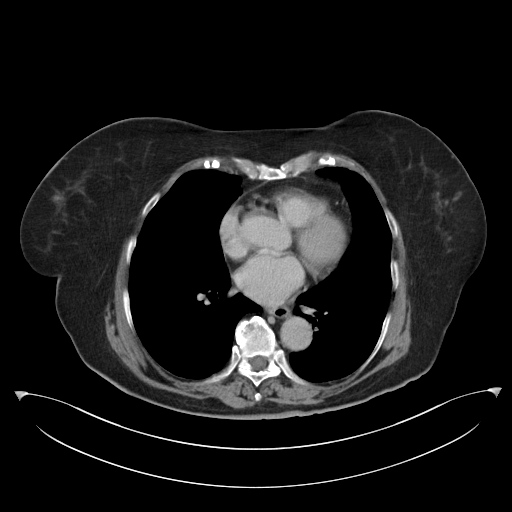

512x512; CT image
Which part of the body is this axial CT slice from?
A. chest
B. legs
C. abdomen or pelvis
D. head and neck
A. chest
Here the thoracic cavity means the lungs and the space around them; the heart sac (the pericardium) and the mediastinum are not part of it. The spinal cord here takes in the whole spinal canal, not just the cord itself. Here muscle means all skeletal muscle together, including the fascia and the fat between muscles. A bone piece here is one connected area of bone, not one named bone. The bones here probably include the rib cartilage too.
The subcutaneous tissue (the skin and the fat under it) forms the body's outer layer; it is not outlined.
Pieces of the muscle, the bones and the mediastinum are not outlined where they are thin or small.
pericardium: 291,176 317,180 333,185 338,189 345,199 349,209 351,219 350,239 337,265 323,279 316,283 312,283 294,298 280,304 262,305 255,302 236,287 224,258 219,234 220,224 227,210 245,192 265,182
muscle 1: 143,206 141,216 144,219 140,230 137,236 129,236 125,246 125,262 129,268 127,287 121,293 122,307 129,328 136,332 151,357 170,373 186,379 203,379 203,384 209,384 227,378 236,370 258,387 264,380 281,373 296,384 307,385 309,382 338,380 358,368 359,372 362,371 380,349 392,317 388,310 391,292 397,289 400,281 398,262 391,257 392,240 398,236 398,223 406,251 406,288 411,304 412,340 407,353 352,387 314,404 266,401 250,407 234,408 214,397 198,399 149,385 138,378 112,349 106,336 104,319 107,303 113,303 114,279 122,244 with a hole at 256,392 257,392 258,392 259,393 260,394 261,395 261,396 261,397 261,398 260,399 260,400 259,401 258,401 257,401 256,401 256,400 255,399 255,398 255,397 254,396 255,395 255,394 255,393
muscle 2: 208,155 233,155 234,156 232,156 230,160 233,164 233,168 238,171 227,169 222,165 222,162 219,158 207,157 201,161 193,163 190,166 189,170 182,173 163,195 161,195 159,191 156,191 178,167 192,159
muscle 3: 310,150 328,150 346,155 358,162 374,179 385,196 389,208 382,207 374,190 367,181 366,176 359,171 351,161 340,155 329,153 318,156 315,160 315,163 318,166 310,167 314,161 312,154 310,152 306,152
bones 1: 252,315 259,315 266,321 274,332 277,344 283,350 290,367 306,380 307,384 296,383 281,372 277,376 264,379 256,386 236,369 219,381 202,382 205,378 221,370 229,361 235,342 235,328 242,318 248,318, around a hole outlined by 255,356 262,356 263,357 265,357 266,358 266,360 267,361 267,363 266,364 266,366 264,368 263,368 262,369 260,369 259,370 254,370 252,368 252,366 251,365 251,364 249,362 249,359 250,359
bones 2: 306,153 310,153 313,159 311,165 306,170 301,172 298,175 275,178 272,180 252,179 244,173 235,169 234,164 232,163 231,160 232,157 235,156 250,160 257,164 263,163 272,167 278,167 280,164 287,160
bones 3: 329,154 334,156 340,156 348,160 349,162 351,162 354,165 356,169 359,172 362,173 365,176 365,178 358,172 344,166 340,166 339,165 336,165 335,166 318,165 316,163 316,160 317,158 320,156 324,156
bones 4: 388,311 391,313 391,317 383,341 379,349 372,359 362,370 359,371 360,366 367,359 374,349 374,347 378,340 378,338 381,332 381,328 382,327 382,324 384,318
bones 5: 207,158 216,158 217,159 219,159 221,162 221,165 223,167 225,167 226,168 226,170 224,170 223,169 217,169 216,168 196,168 195,169 190,169 191,166 193,164 195,163 197,163 198,162 201,162 203,160
bones 6: 124,288 127,288 128,290 128,294 129,295 129,307 130,308 131,317 132,318 132,321 133,322 133,325 135,330 134,331 130,328 128,324 128,322 125,315 124,308 123,307 122,293
bones 7: 385,208 389,209 389,210 392,213 396,220 396,222 398,226 398,231 397,232 397,236 396,238 392,238 391,231 389,228 389,226 388,225 388,223 387,222 387,220 386,219 386,217 384,213 384,210 383,209
bones 8: 391,258 393,258 397,262 397,264 398,265 398,276 399,277 399,281 398,282 398,285 397,286 397,287 396,288 396,289 395,289 394,290 393,290 392,289 392,279 391,278 391,272 390,271 390,262 391,261
bones 9: 156,192 159,192 160,193 160,195 161,196 160,197 160,198 158,200 158,201 155,204 155,205 148,212 148,213 144,218 142,216 142,210 143,209 143,208 144,207 144,206 145,205 145,204 146,203 146,202
bones 10: 132,235 135,235 136,236 136,243 135,244 135,247 134,248 134,249 131,254 131,257 130,258 130,262 129,263 129,265 128,265 126,262 126,246 127,245 127,243 128,242 128,240 129,239 130,236 131,236
mediastinum 1: 296,297 293,312 309,322 312,327 314,329 315,328 315,330 308,347 298,352 291,352 287,358 284,350 278,344 275,332 261,315 252,314 248,317 243,317 248,313 261,312 262,307 260,305 277,306
mediastinum 2: 319,166 328,166 319,169 316,173 318,175 321,175 322,176 325,176 335,179 340,184 341,189 345,198 344,196 342,195 339,189 333,184 327,183 313,178 299,176 301,173 306,171 308,169 310,168 315,168
mediastinum 3: 227,170 232,170 233,171 240,172 252,180 266,180 267,181 265,181 262,183 260,183 257,185 255,185 251,187 245,191 243,194 231,205 231,204 242,193 242,188 241,187 242,178 237,174 230,173 226,171
thoracic cavity 1: 196,169 222,170 241,178 241,193 221,218 219,241 230,276 231,290 243,294 261,307 261,311 248,312 237,322 234,342 225,365 209,376 199,379 170,372 148,352 135,329 128,289 131,258 145,218 182,174
thoracic cavity 2: 336,166 362,176 383,210 392,239 389,262 391,291 379,335 366,359 343,377 313,382 295,372 288,359 291,353 309,347 316,330 309,321 294,312 297,297 337,267 353,231 351,210 341,184 333,177 317,173
spinal cord: 255,356 262,356 263,357 265,357 266,358 266,360 267,361 267,363 266,364 266,366 264,368 263,368 262,369 260,369 259,370 254,370 252,368 252,366 251,365 251,364 249,362 249,359 250,359
torso: 363,109 398,113 433,131 465,167 485,210 483,256 461,291 426,373 337,410 277,419 225,419 134,397 82,361 56,312 56,279 34,271 19,242 20,221 31,194 70,147 129,117 172,117 231,130 321,126